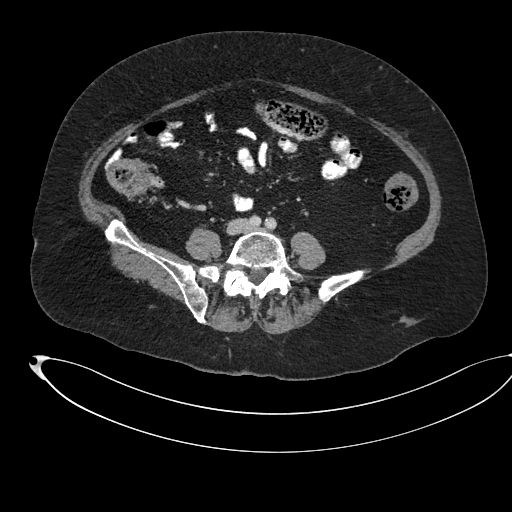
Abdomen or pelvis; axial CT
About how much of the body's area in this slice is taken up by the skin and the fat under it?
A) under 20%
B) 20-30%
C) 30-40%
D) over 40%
Answer: D) over 40%
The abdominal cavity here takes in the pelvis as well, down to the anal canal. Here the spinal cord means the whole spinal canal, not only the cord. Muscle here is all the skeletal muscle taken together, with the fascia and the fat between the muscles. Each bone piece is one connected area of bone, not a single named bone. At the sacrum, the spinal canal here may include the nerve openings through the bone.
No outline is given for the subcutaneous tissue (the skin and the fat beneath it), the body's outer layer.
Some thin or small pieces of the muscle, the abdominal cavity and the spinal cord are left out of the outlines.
The torso is outlined by 242 29; 307 33; 359 47; 403 72; 441 108; 466 156; 487 251; 486 295; 477 316; 464 330; 430 339; 364 371; 282 380; 211 373; 125 350; 62 326; 41 309; 29 274; 32 219; 51 145; 71 104; 105 69; 141 49; 194 33. The spinal cord is outlined by 270 265; 273 266; 274 268; 273 271; 271 272; 268 271; 266 273; 263 279; 259 283; 256 284; 252 282; 249 279; 249 277; 248 276; 248 272; 250 269; 260 269; 261 268; 266 269; 268 267; 268 266. The abdominal cavity is outlined by 245 82; 329 104; 386 136; 415 165; 428 212; 388 261; 309 274; 326 260; 311 233; 291 236; 289 259; 282 238; 263 229; 240 235; 224 261; 220 236; 198 226; 184 247; 199 265; 143 241; 115 205; 94 197; 102 160; 145 121. The muscle appears in 4 outlined pieces: piece 1: 255 77; 306 88; 339 100; 401 133; 430 165; 441 197; 440 221; 433 241; 426 248; 403 263; 348 288; 330 301; 310 323; 280 334; 268 334; 255 326; 242 332; 220 331; 208 326; 206 319; 208 296; 197 279; 201 277; 217 283; 222 277; 222 289; 228 297; 255 296; 261 300; 274 290; 277 290; 281 296; 285 296; 292 286; 291 281; 302 276; 300 271; 293 268; 287 259; 292 260; 294 258; 290 240; 294 234; 301 231; 311 234; 325 251; 323 263; 304 272; 316 276; 330 275; 319 283; 316 290; 316 295; 322 303; 328 302; 344 289; 362 280; 369 271; 365 268; 388 262; 398 243; 424 223; 429 212; 430 200; 426 182; 416 165; 391 139; 377 129; 329 103; 321 103; 264 82; 240 82; 150 117; 126 135; 101 160; 91 180; 91 193; 97 200; 115 206; 124 216; 125 224; 117 217; 112 217; 103 229; 103 235; 95 225; 86 220; 78 200; 79 180; 85 162; 96 148; 117 130; 163 105; 201 89; 229 81; piece 2: 104 236; 105 239; 108 242; 125 246; 149 258; 162 267; 170 275; 177 285; 182 295; 184 305; 175 300; 173 298; 156 291; 145 282; 143 281; 135 282; 131 278; 126 277; 118 270; 117 270; 110 263; 109 245; 104 239; piece 3: 198 227; 199 228; 204 228; 211 230; 219 236; 219 239; 222 245; 222 253; 221 254; 221 257; 223 260; 223 263; 222 264; 220 265; 217 265; 216 264; 204 264; 202 261; 193 258; 186 250; 185 247; 186 241; 192 231; 195 228; piece 4: 128 229; 129 229; 143 242; 146 242; 155 245; 158 247; 164 248; 166 250; 168 250; 170 252; 176 254; 181 258; 188 260; 190 262; 195 263; 199 266; 197 268; 195 268; 190 263; 181 263; 147 249; 141 245; 134 238. The bones appear in 2 outlined pieces: piece 1: 112 218; 120 220; 147 250; 195 269; 222 265; 240 236; 263 230; 281 238; 289 265; 301 276; 290 281; 285 295; 274 289; 261 299; 228 296; 222 276; 217 282; 198 276; 207 296; 204 325; 194 318; 162 266; 106 239; 104 229; inner edge: 270 265; 273 266; 274 268; 273 271; 271 272; 268 271; 266 273; 263 279; 259 283; 256 284; 252 282; 249 279; 249 277; 248 276; 248 272; 250 269; 260 269; 261 268; 266 269; 268 267; 268 266; piece 2: 363 268; 367 269; 368 271; 363 276; 362 279; 344 288; 342 290; 335 294; 328 301; 326 302; 322 302; 319 299; 317 295; 317 290; 320 285; 320 283; 324 279; 334 274; 345 273; 346 272; 349 272; 353 270; 362 269.